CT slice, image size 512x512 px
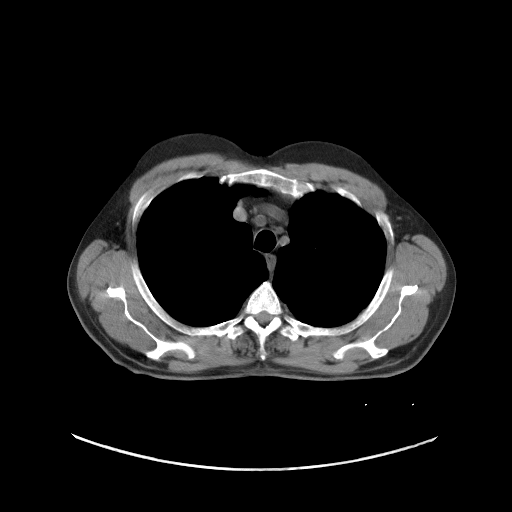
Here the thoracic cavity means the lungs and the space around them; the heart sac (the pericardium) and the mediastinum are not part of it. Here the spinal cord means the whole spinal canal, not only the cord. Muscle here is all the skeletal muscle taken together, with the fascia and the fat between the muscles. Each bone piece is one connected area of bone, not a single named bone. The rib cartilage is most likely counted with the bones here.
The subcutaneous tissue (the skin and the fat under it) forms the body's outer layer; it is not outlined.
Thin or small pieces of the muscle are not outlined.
{"bones":[{"outer":[[133,259],[165,311],[194,327],[235,317],[266,280],[297,320],[316,327],[340,326],[368,305],[388,267],[393,274],[377,309],[353,330],[300,335],[294,341],[275,330],[265,339],[262,360],[258,337],[247,328],[230,339],[189,335],[164,322],[136,286]],"hole":[[262,311],[265,311],[266,312],[267,312],[270,315],[271,315],[272,316],[272,317],[271,318],[271,319],[266,324],[265,324],[264,325],[262,325],[261,324],[260,324],[256,320],[256,319],[255,318],[255,315],[256,315],[258,313],[259,313]]},[[257,168],[266,168],[284,176],[295,178],[299,182],[312,183],[316,189],[312,192],[306,193],[300,198],[294,198],[289,194],[284,194],[272,188],[258,187],[252,184],[235,183],[231,186],[224,183],[222,184],[219,182],[219,177],[222,175],[239,173]],[[109,286],[123,287],[130,315],[142,323],[153,335],[161,340],[183,341],[195,351],[195,356],[188,359],[183,351],[170,350],[157,360],[147,357],[144,352],[153,349],[156,342],[141,327],[127,318],[124,313],[124,304],[118,297],[108,296],[106,289]],[[414,284],[417,285],[417,290],[403,298],[399,315],[374,341],[377,346],[388,349],[388,352],[384,356],[374,359],[361,347],[348,349],[342,359],[337,359],[332,355],[332,353],[341,346],[357,340],[366,340],[384,327],[397,310],[401,287],[403,285]],[[150,189],[152,189],[154,191],[158,193],[150,202],[148,206],[143,212],[142,215],[140,217],[137,223],[137,225],[135,225],[133,226],[132,225],[132,215],[133,214],[133,209],[134,208],[134,206],[137,200],[139,198],[139,197],[144,192]],[[375,210],[381,210],[382,211],[384,211],[386,213],[387,213],[389,217],[389,220],[391,223],[391,227],[393,231],[393,244],[391,246],[387,244],[387,241],[385,238],[385,236],[383,233],[383,231],[380,227],[380,226],[378,224],[374,216],[374,211]],[[333,186],[340,186],[341,187],[343,187],[347,190],[353,193],[358,198],[358,199],[360,201],[362,205],[362,207],[360,207],[358,206],[353,201],[352,201],[350,199],[346,197],[344,197],[340,195],[338,193],[335,192],[335,191],[333,189]],[[203,170],[206,170],[207,171],[206,174],[204,176],[202,176],[201,177],[199,177],[198,178],[191,178],[190,179],[184,179],[183,180],[181,180],[178,182],[175,182],[176,181],[176,180],[181,175],[182,175],[183,174],[185,174],[190,171],[202,171]]],"thoracic_cavity":[[[205,176],[217,177],[220,184],[228,187],[241,184],[264,189],[262,194],[240,195],[232,217],[250,227],[251,248],[264,259],[268,277],[249,294],[235,316],[206,326],[194,326],[173,317],[151,292],[138,262],[136,231],[141,217],[158,194],[175,183]],[[317,189],[329,193],[336,193],[350,200],[373,216],[386,241],[384,271],[373,296],[367,305],[355,317],[345,323],[335,326],[316,326],[297,319],[289,313],[272,285],[277,264],[278,251],[280,248],[290,243],[288,233],[290,209],[296,201]]],"torso":[[[184,132],[221,135],[260,155],[297,141],[329,141],[355,151],[371,164],[427,220],[455,267],[450,315],[422,359],[392,376],[342,381],[272,376],[166,380],[135,374],[112,361],[89,337],[72,308],[66,289],[68,268],[85,230],[142,154],[154,143]]],"spinal_cord":[[[262,311],[265,311],[266,312],[267,312],[270,315],[271,315],[272,316],[272,317],[271,318],[271,319],[266,324],[265,324],[264,325],[262,325],[261,324],[260,324],[256,320],[256,319],[255,318],[255,315],[256,315],[258,313],[259,313]]],"mediastinum":[[[265,189],[272,189],[298,199],[289,209],[287,226],[289,243],[280,247],[277,251],[276,264],[271,282],[268,280],[269,272],[265,259],[252,248],[251,227],[247,223],[238,221],[233,217],[233,210],[240,196],[246,194],[262,195],[265,193]]],"muscle":[[[203,152],[221,153],[262,167],[287,162],[342,167],[377,184],[387,199],[387,212],[375,209],[370,214],[343,186],[333,185],[334,192],[329,192],[266,167],[218,177],[206,175],[206,169],[190,170],[159,193],[152,188],[144,191],[132,209],[137,259],[130,261],[129,268],[148,307],[168,326],[189,336],[234,340],[247,329],[258,341],[261,360],[190,373],[173,372],[151,360],[157,361],[170,351],[181,351],[192,360],[196,351],[183,340],[157,337],[134,318],[122,285],[109,285],[107,296],[122,302],[126,318],[141,328],[155,346],[143,352],[145,357],[120,344],[78,298],[75,271],[81,253],[95,239],[113,242],[120,249],[126,247],[129,191],[138,177],[162,161]],{"outer":[[394,232],[397,241],[409,232],[425,235],[439,248],[446,264],[445,284],[414,340],[353,373],[321,373],[264,361],[266,339],[275,331],[294,342],[300,336],[340,336],[362,325],[390,288],[394,268],[385,269],[385,265],[387,245],[394,244]],"hole":[[414,284],[417,285],[417,290],[403,298],[399,315],[374,341],[377,346],[388,349],[388,352],[384,356],[374,359],[361,347],[348,349],[342,359],[337,359],[332,355],[332,353],[341,346],[357,340],[366,340],[384,327],[397,310],[401,287],[403,285]]}]}